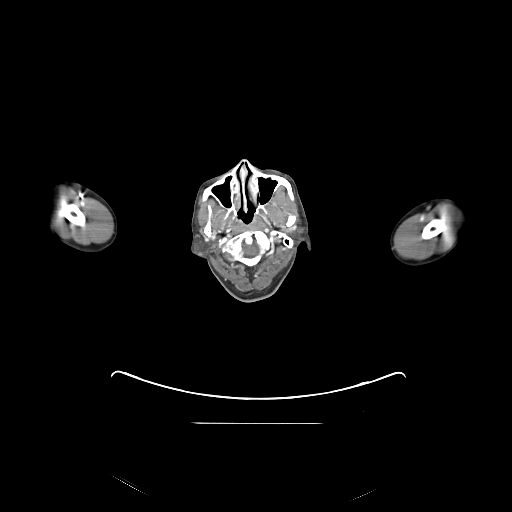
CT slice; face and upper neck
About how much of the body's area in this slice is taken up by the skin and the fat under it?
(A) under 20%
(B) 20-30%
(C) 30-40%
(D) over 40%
Answer: (B) 20-30%
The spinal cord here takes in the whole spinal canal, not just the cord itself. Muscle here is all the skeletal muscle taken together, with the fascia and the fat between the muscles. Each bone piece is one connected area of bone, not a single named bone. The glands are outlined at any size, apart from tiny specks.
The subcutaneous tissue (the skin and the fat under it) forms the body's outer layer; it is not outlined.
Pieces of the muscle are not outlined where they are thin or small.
muscle 1: [[281,188],[285,190],[286,195],[291,202],[295,201],[295,196],[298,213],[302,222],[302,229],[296,233],[296,241],[291,257],[267,291],[251,297],[239,294],[214,268],[206,253],[204,242],[197,232],[196,212],[199,197],[201,194],[200,200],[203,203],[211,197],[216,202],[219,209],[224,211],[224,220],[226,220],[231,214],[232,220],[248,227],[257,219],[261,212],[265,215],[268,214],[269,212],[267,206],[277,191]] with holes at [[247,229],[261,230],[265,232],[271,244],[269,251],[265,253],[262,257],[262,258],[256,264],[252,266],[248,266],[244,263],[240,261],[238,261],[237,260],[232,260],[232,256],[228,252],[222,252],[221,250],[222,246],[231,237],[237,234],[239,234]] and at [[276,229],[278,230],[281,230],[282,231],[284,231],[286,232],[286,233],[293,240],[294,242],[293,243],[293,245],[292,247],[290,248],[287,248],[282,243],[282,239],[281,238],[280,238],[278,236],[274,236],[270,234],[270,232],[272,230],[275,230]] and at [[208,204],[210,204],[210,205],[211,206],[211,208],[212,209],[212,217],[211,218],[211,221],[212,222],[212,234],[211,235],[211,236],[209,238],[206,235],[205,235],[203,232],[203,228],[207,221],[207,218],[208,217],[208,209],[207,208],[207,205]] and at [[290,214],[295,214],[295,215],[296,216],[296,219],[295,220],[295,223],[294,224],[293,224],[290,227],[286,227],[286,226],[285,225],[285,221],[286,220],[286,218],[287,217],[287,216],[288,215],[289,215]]
muscle 2: [[61,185],[69,186],[70,187],[73,186],[79,190],[90,195],[92,198],[99,201],[107,208],[113,220],[113,233],[111,237],[107,241],[97,245],[83,245],[70,239],[66,239],[62,237],[58,233],[52,224],[50,203],[55,193],[55,191]] with a hole at [[70,202],[74,202],[76,203],[79,206],[80,209],[84,214],[85,216],[85,225],[84,226],[79,226],[78,225],[75,225],[74,224],[72,224],[65,217],[63,216],[63,214],[62,213],[62,210],[63,208],[68,203]]
muscle 3: [[440,202],[448,202],[453,205],[456,209],[461,212],[461,226],[459,229],[456,238],[453,241],[450,247],[444,251],[434,253],[432,255],[424,259],[408,259],[407,258],[401,257],[397,253],[394,248],[394,236],[399,226],[407,218],[417,213],[427,206]], around a hole outlined by [[436,217],[440,217],[446,220],[448,224],[448,229],[444,233],[440,233],[428,239],[422,239],[421,238],[421,232],[423,229],[423,227],[429,221],[430,221],[433,218],[435,218]]
right arm: [[58,179],[69,179],[79,182],[81,184],[92,189],[98,193],[108,202],[116,215],[117,223],[118,224],[117,236],[115,239],[115,241],[111,245],[99,252],[84,252],[83,251],[79,251],[62,243],[50,231],[43,214],[42,197],[45,188],[50,183]]
head and neck: [[242,159],[246,159],[256,168],[279,170],[289,174],[294,179],[306,214],[311,245],[310,250],[304,242],[299,245],[293,266],[275,293],[252,302],[240,301],[231,296],[213,275],[206,260],[190,251],[192,238],[190,224],[198,187],[205,180],[225,173]], around holes outlined by [[260,179],[264,179],[265,180],[270,180],[274,182],[274,185],[272,188],[272,190],[271,191],[271,194],[270,196],[268,198],[268,199],[265,202],[263,203],[260,202],[260,200],[259,199],[260,197],[260,187],[259,186],[259,182],[260,181],[259,180]] and by [[227,179],[228,179],[229,180],[228,181],[228,187],[229,188],[229,201],[230,202],[230,205],[229,206],[226,206],[223,203],[223,202],[220,199],[220,198],[214,192],[214,189],[216,187],[217,187],[218,186],[221,186],[223,184],[224,184]] and by [[249,203],[250,203],[251,205],[253,206],[253,208],[254,210],[253,211],[253,214],[252,215],[251,220],[249,222],[246,223],[244,222],[243,220],[238,216],[238,211],[240,209],[242,209],[243,211],[245,213],[246,213],[248,211],[248,205]]
left arm: [[436,197],[449,197],[452,198],[468,208],[471,211],[470,220],[459,241],[455,247],[449,253],[440,259],[438,259],[431,263],[428,263],[421,266],[407,266],[400,263],[392,255],[389,245],[390,233],[394,225],[406,212],[414,206],[426,200]]
parotid glands: [[197,234],[198,234],[199,235],[199,236],[201,238],[201,241],[202,242],[203,242],[203,245],[204,246],[204,247],[205,248],[205,253],[205,252],[204,251],[203,251],[201,249],[196,249],[195,248],[195,241],[196,240],[196,235]]
bones 1: [[242,159],[246,159],[265,173],[273,173],[287,179],[294,196],[294,201],[291,201],[286,190],[283,187],[279,188],[266,206],[267,214],[261,211],[248,226],[232,219],[231,213],[224,219],[225,211],[220,209],[211,196],[204,202],[201,200],[204,188]]; inner edges: [[260,179],[264,179],[265,180],[270,180],[274,182],[274,185],[272,188],[272,190],[271,191],[271,194],[270,196],[268,198],[268,199],[265,202],[263,203],[260,202],[260,200],[259,199],[260,197],[260,187],[259,186],[259,182],[260,181],[259,180]], then [[227,179],[228,179],[229,180],[228,181],[228,187],[229,188],[229,201],[230,202],[230,205],[229,206],[226,206],[223,203],[223,202],[220,199],[220,198],[214,192],[214,189],[216,187],[217,187],[218,186],[221,186],[223,184],[224,184]], then [[249,203],[250,203],[251,205],[253,206],[253,208],[254,210],[253,211],[253,214],[252,215],[251,220],[249,222],[246,223],[244,222],[243,220],[238,216],[238,211],[240,209],[242,209],[243,211],[245,213],[246,213],[248,211],[248,205]]
bones 2: [[247,229],[261,230],[265,232],[271,244],[269,251],[265,253],[262,257],[262,258],[256,264],[252,266],[248,266],[244,263],[240,261],[238,261],[237,260],[232,260],[232,256],[228,252],[222,252],[221,250],[222,246],[231,237],[237,234],[239,234]] with a hole at [[253,243],[254,243],[255,244],[256,244],[256,245],[258,247],[258,251],[257,252],[257,253],[255,255],[254,255],[253,256],[251,256],[250,257],[248,257],[247,256],[245,256],[244,255],[244,254],[243,253],[243,244],[246,244],[247,245],[251,245]]
bones 3: [[436,217],[440,217],[446,220],[448,224],[448,229],[444,233],[440,233],[428,239],[422,239],[421,238],[421,232],[423,229],[423,227],[429,221],[430,221],[433,218],[435,218]]
bones 4: [[70,202],[74,202],[76,203],[79,206],[80,209],[84,214],[85,216],[85,225],[84,226],[79,226],[78,225],[75,225],[74,224],[72,224],[65,217],[63,216],[63,214],[62,213],[62,210],[63,208],[68,203]]
bones 5: [[276,229],[278,230],[281,230],[282,231],[284,231],[286,232],[286,233],[293,240],[294,242],[293,243],[293,245],[292,247],[290,248],[287,248],[282,243],[282,239],[281,238],[280,238],[278,236],[274,236],[270,234],[270,232],[272,230],[275,230]]
bones 6: [[208,204],[210,204],[210,205],[211,206],[211,208],[212,209],[212,217],[211,218],[211,221],[212,222],[212,234],[211,235],[211,236],[209,238],[206,235],[205,235],[203,232],[203,228],[207,221],[207,218],[208,217],[208,209],[207,208],[207,205]]
bones 7: [[290,214],[295,214],[295,215],[296,216],[296,219],[295,220],[295,223],[294,224],[293,224],[290,227],[286,227],[286,226],[285,225],[285,221],[286,220],[286,218],[287,217],[287,216],[288,215],[289,215]]
spinal cord: [[253,243],[254,243],[255,244],[256,244],[256,245],[258,247],[258,251],[257,252],[257,253],[255,255],[254,255],[253,256],[251,256],[250,257],[248,257],[247,256],[245,256],[244,255],[244,254],[243,253],[243,244],[246,244],[247,245],[251,245]]